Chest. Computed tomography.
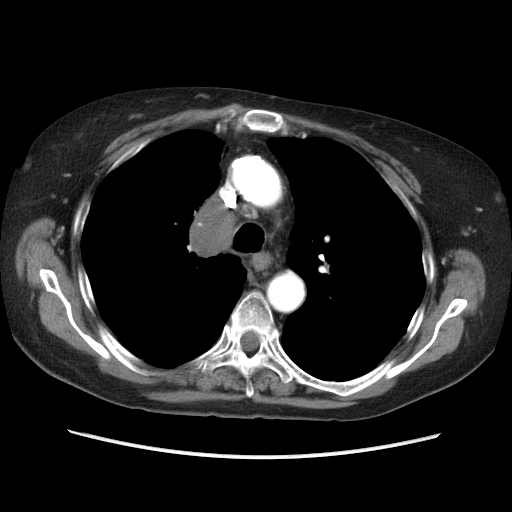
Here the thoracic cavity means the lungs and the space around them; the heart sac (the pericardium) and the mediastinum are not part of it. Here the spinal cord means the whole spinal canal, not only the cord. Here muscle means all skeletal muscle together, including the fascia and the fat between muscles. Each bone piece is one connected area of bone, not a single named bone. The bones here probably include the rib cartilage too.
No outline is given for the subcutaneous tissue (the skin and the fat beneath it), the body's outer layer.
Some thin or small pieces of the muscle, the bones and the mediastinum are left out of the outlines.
Outlines (x, y in pixels):
muscle 1: 232 103; 253 108; 237 116; 233 124; 213 121; 152 141; 146 137; 129 147; 106 170; 92 198; 77 207; 72 233; 80 238; 83 264; 77 267; 78 287; 88 310; 93 314; 96 306; 109 329; 98 325; 100 341; 76 323; 56 273; 50 268; 38 270; 45 290; 61 301; 69 323; 104 359; 113 356; 143 376; 166 373; 142 367; 144 362; 158 368; 185 364; 204 374; 231 366; 242 375; 247 398; 193 402; 150 399; 129 383; 100 371; 89 356; 44 327; 36 304; 34 308; 30 304; 28 288; 18 279; 16 245; 30 222; 49 216; 60 228; 58 245; 67 260; 75 210; 95 177; 105 148; 116 137; 190 108; 212 109
muscle 2: 278 112; 349 131; 384 150; 412 172; 421 186; 422 203; 416 206; 430 235; 439 284; 451 267; 447 256; 451 249; 471 250; 480 258; 485 271; 481 312; 467 321; 467 330; 451 353; 407 373; 386 392; 358 399; 349 406; 320 409; 254 402; 250 398; 254 394; 251 377; 257 369; 272 370; 285 384; 294 379; 298 384; 348 396; 405 370; 433 344; 442 324; 462 312; 468 301; 464 297; 453 298; 435 323; 430 339; 410 357; 398 363; 394 358; 384 360; 402 336; 408 342; 418 331; 426 308; 421 303; 426 284; 431 284; 434 278; 433 254; 422 247; 416 210; 402 189; 391 178; 381 175; 357 151; 329 137; 292 130
torso: 175 85; 250 89; 375 112; 435 132; 481 157; 498 176; 511 238; 508 297; 494 349; 487 359; 445 389; 387 414; 353 422; 202 417; 129 409; 86 393; 37 366; 12 335; 0 273; 2 222; 14 171; 34 138; 68 111; 116 92
thoracic cavity 1: 192 128; 204 128; 214 134; 221 143; 218 183; 200 204; 208 216; 207 246; 213 255; 223 253; 237 256; 246 275; 239 299; 215 343; 183 364; 158 367; 145 362; 126 348; 102 318; 84 267; 81 236; 93 196; 106 175; 151 142
thoracic cavity 2: 286 136; 303 139; 321 136; 357 152; 401 201; 419 231; 425 279; 420 303; 404 334; 383 360; 348 380; 326 380; 308 373; 290 358; 280 341; 277 326; 283 326; 307 295; 304 280; 287 263; 296 208; 290 182; 267 144; 271 138
bones 1: 254 290; 263 295; 289 358; 316 378; 340 382; 386 360; 398 364; 410 358; 421 349; 431 339; 436 323; 453 299; 467 304; 423 353; 390 378; 339 395; 294 378; 285 383; 262 367; 250 377; 248 397; 246 380; 233 366; 204 373; 186 363; 216 343; 236 304; inner edge: 249 331; 251 331; 252 332; 253 332; 254 333; 255 333; 255 334; 257 336; 257 338; 258 339; 258 347; 253 352; 246 352; 242 348; 242 346; 241 345; 241 343; 240 342; 240 339; 241 338; 241 337; 246 332; 248 332
bones 2: 41 268; 50 269; 55 273; 59 287; 71 306; 72 317; 84 333; 100 342; 98 327; 102 325; 126 349; 143 361; 140 367; 165 373; 143 375; 133 371; 113 355; 106 359; 95 351; 70 323; 60 298; 55 293; 46 290; 39 275
bones 3: 254 108; 265 109; 266 110; 275 111; 279 113; 282 116; 283 119; 290 126; 291 128; 290 134; 283 135; 279 130; 274 132; 265 132; 264 131; 252 130; 246 126; 243 126; 239 130; 235 129; 234 122; 236 118; 241 116; 247 111
bones 4: 79 266; 83 266; 86 272; 86 274; 90 284; 90 287; 91 288; 91 290; 95 300; 95 306; 94 307; 94 312; 93 313; 92 313; 89 310; 85 304; 85 302; 82 297; 82 295; 80 291; 79 282; 78 281; 78 267
bones 5: 88 200; 91 200; 90 202; 90 205; 89 206; 89 210; 88 211; 87 216; 85 219; 85 222; 83 226; 83 229; 81 232; 81 235; 80 237; 77 237; 74 235; 73 233; 73 225; 74 224; 74 218; 75 217; 75 214; 80 204
bones 6: 146 138; 150 138; 151 139; 151 141; 148 144; 147 144; 142 149; 141 149; 132 157; 129 158; 127 160; 121 163; 117 167; 113 169; 107 174; 107 170; 110 167; 110 166; 125 151; 126 151; 129 148; 132 147; 134 145; 136 145
bones 7: 420 304; 423 304; 425 306; 425 308; 424 309; 424 313; 423 314; 423 318; 420 323; 420 325; 419 326; 417 331; 415 333; 415 334; 408 341; 404 337; 404 335; 406 332; 407 327; 408 326; 415 311; 417 309; 417 308
bones 8: 382 175; 387 178; 391 179; 391 180; 393 182; 394 182; 401 189; 401 190; 404 193; 404 194; 409 199; 415 210; 415 213; 416 214; 416 220; 415 221; 408 211; 407 208; 402 202; 402 201; 386 182; 386 181; 383 178
bones 9: 422 249; 426 249; 428 251; 429 251; 432 254; 432 257; 433 258; 433 262; 434 263; 434 273; 433 274; 433 278; 432 279; 432 281; 431 283; 429 284; 427 284; 426 283; 426 279; 424 275; 424 270; 423 269; 423 263; 422 262
spinal cord: 249 331; 251 331; 252 332; 253 332; 254 333; 255 333; 255 334; 257 336; 257 338; 258 339; 258 347; 253 352; 246 352; 242 348; 242 346; 241 345; 241 343; 240 342; 240 339; 241 338; 241 337; 246 332; 248 332
mediastinum: 213 122; 285 136; 271 137; 266 144; 289 182; 295 208; 286 263; 303 280; 306 295; 281 327; 259 290; 240 299; 247 275; 241 259; 213 254; 208 246; 209 216; 201 204; 219 183; 222 154; 220 139; 205 128